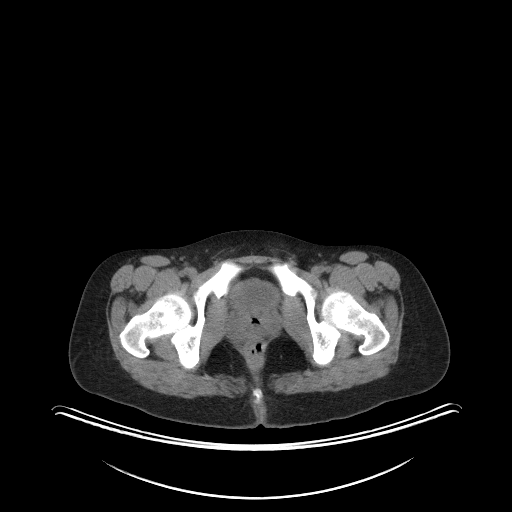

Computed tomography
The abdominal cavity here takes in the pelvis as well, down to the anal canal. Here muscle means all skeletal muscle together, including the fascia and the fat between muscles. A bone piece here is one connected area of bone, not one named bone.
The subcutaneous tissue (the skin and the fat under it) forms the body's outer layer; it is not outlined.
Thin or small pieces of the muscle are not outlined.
Outlines (x, y in pixels):
abdominal cavity: 254,266 264,270 266,269 275,278 283,293 283,303 281,306 281,325 269,339 268,343 263,349 261,360 257,367 252,367 250,365 244,350 240,347 231,332 226,327 226,306 224,298 229,291 230,284 242,272
torso: 242,229 272,230 324,245 374,244 406,256 426,280 448,332 450,361 443,378 425,392 385,402 348,418 287,428 260,424 254,428 226,429 181,423 81,388 70,371 68,342 84,286 104,259 126,249 177,247
muscle: 352,250 372,251 391,264 400,275 400,288 404,302 404,316 402,322 402,333 400,339 398,359 396,363 391,366 391,370 381,378 335,392 326,391 295,394 276,393 269,386 272,380 271,375 302,369 306,365 306,359 303,350 283,329 281,335 273,339 267,347 264,365 259,372 259,376 262,381 262,390 259,387 254,387 251,390 251,393 254,397 253,402 255,404 259,404 262,401 264,394 265,396 265,410 257,409 255,411 248,402 249,397 246,393 242,396 236,396 233,398 226,396 199,396 195,398 183,398 172,395 166,395 150,390 138,384 132,379 122,369 119,362 115,358 109,340 105,308 110,292 109,284 111,277 117,269 125,264 129,259 136,256 157,254 165,256 174,262 193,265 203,271 219,259 239,257 252,254 276,256 285,260 291,259 295,261 300,268 309,271 312,266 319,265 336,255 340,255 with holes at 226,259 245,270 264,270 274,260 288,263 316,289 317,318 330,292 349,292 379,317 389,332 388,343 363,355 358,351 363,337 342,331 332,360 319,365 312,357 304,298 298,292 284,294 281,325 259,365 252,367 226,327 224,297 211,293 194,367 180,364 167,334 145,340 147,356 132,355 119,339 127,322 172,292 185,298 195,314 192,293 and at 224,339 225,339 232,346 232,347 241,355 244,360 245,366 247,368 248,372 251,376 252,381 249,381 243,374 235,376 234,375 228,374 224,372 214,372 213,371 211,371 207,366 207,362 213,349
bones 1: 226,259 243,266 244,270 229,284 225,295 219,299 213,293 208,295 199,361 194,367 187,369 180,364 167,334 145,340 149,349 145,357 134,356 121,345 119,334 127,322 166,293 177,292 195,314 192,293
bones 2: 274,260 288,263 316,289 317,318 322,301 330,292 347,291 379,317 389,332 388,343 363,355 358,351 363,337 342,331 332,360 326,365 317,364 312,357 313,342 304,298 298,292 294,296 284,294 266,268
bones 3: 254,388 259,388 262,391 262,393 263,394 263,395 262,396 262,398 261,399 261,401 259,403 255,403 254,402 254,399 255,398 255,397 253,395 253,394 252,393 252,390